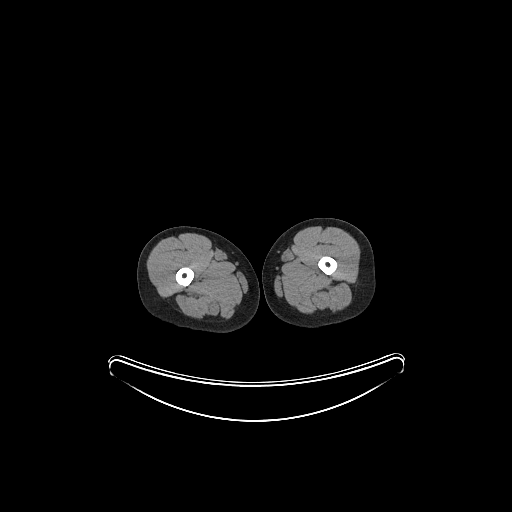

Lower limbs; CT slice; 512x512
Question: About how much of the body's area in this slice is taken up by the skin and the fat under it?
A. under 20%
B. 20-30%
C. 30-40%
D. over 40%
Answer: C. 30-40%
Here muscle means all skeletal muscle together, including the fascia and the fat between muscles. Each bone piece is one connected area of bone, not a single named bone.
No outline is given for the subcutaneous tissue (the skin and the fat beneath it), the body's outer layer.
The bones appear in 2 outlined pieces: piece 1: 183,266 189,266 193,270 193,272 194,273 194,276 193,277 193,279 191,281 191,282 188,285 187,285 186,286 183,286 182,285 180,285 179,284 178,284 175,279 175,273 178,269 179,269; piece 2: 324,255 327,255 328,256 330,256 334,258 337,262 337,267 335,271 332,274 330,275 328,275 324,273 319,268 317,264 318,263 318,261 319,259 322,256. The left leg is outlined by 316,217 333,217 347,221 355,225 365,234 373,250 376,286 370,304 361,314 356,317 342,323 332,324 320,328 304,328 291,325 282,321 270,310 267,305 263,290 262,266 269,249 275,240 284,231 303,220. The muscle appears in 2 outlined pieces: piece 1: 186,232 202,233 215,240 227,250 243,268 248,278 248,289 245,296 244,304 238,314 233,319 221,322 211,322 185,316 175,310 171,305 159,296 155,287 149,280 146,267 146,261 153,247 161,239 167,236; inner edge: 183,266 189,266 193,270 193,272 194,273 194,276 193,277 193,279 191,281 191,282 188,285 187,285 186,286 183,286 182,285 180,285 179,284 178,284 175,279 175,273 178,269 179,269; piece 2: 313,225 334,226 351,232 355,236 360,248 359,281 352,303 343,312 328,317 322,317 321,318 308,317 296,312 282,301 274,293 271,288 272,273 274,266 274,258 277,251 284,242 296,232 303,228, around a hole outlined by 324,255 327,255 328,256 330,256 334,258 337,262 337,267 335,271 332,274 330,275 328,275 324,273 319,268 317,264 318,263 318,261 319,259 322,256. The right leg is outlined by 174,226 195,226 216,232 236,245 248,258 256,273 258,280 259,305 255,315 245,326 227,333 211,333 204,331 192,330 162,321 150,314 145,309 141,302 137,287 136,270 139,255 145,244 155,234 164,229.